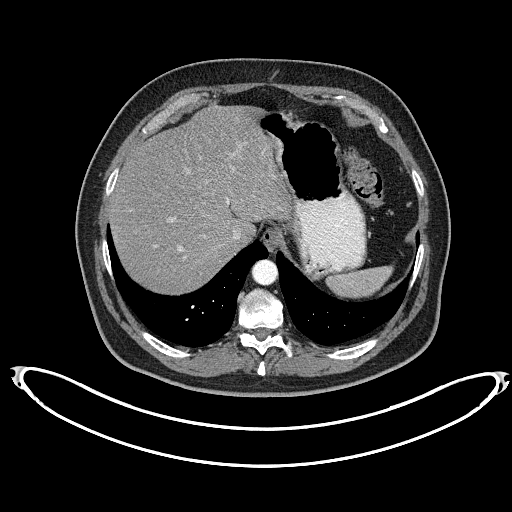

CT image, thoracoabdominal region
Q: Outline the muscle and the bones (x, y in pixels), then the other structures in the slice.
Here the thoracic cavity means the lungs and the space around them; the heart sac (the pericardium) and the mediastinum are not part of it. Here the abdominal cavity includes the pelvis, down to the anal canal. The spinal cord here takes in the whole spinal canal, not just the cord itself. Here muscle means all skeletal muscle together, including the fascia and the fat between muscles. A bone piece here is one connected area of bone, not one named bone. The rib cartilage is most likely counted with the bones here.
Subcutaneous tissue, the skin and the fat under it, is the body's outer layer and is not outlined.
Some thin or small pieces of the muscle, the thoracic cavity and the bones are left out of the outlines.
A: muscle: [[203,377],[217,376],[231,372],[236,372],[239,370],[241,370],[244,373],[257,375],[256,368],[259,361],[261,359],[263,359],[265,361],[266,375],[264,376],[275,376],[280,374],[299,375],[300,376],[320,376],[321,375],[327,375],[328,374],[341,373],[349,371],[373,357],[390,343],[411,322],[421,309],[425,301],[428,289],[427,286],[428,285],[428,277],[429,276],[429,259],[430,258],[430,245],[429,244],[429,238],[427,230],[428,229],[428,223],[430,219],[429,216],[429,200],[427,192],[427,180],[408,147],[390,119],[380,108],[360,95],[350,90],[338,87],[297,85],[296,84],[277,83],[272,81],[244,82],[243,83],[230,83],[229,84],[202,85],[201,86],[187,87],[172,94],[159,106],[145,115],[136,124],[119,146],[110,164],[105,171],[103,177],[103,185],[100,195],[100,204],[96,219],[96,223],[98,225],[98,236],[94,240],[94,261],[95,262],[96,280],[103,302],[107,310],[111,314],[116,322],[142,348],[150,353],[164,365],[173,370],[182,373],[195,375],[196,376],[202,376]], around a hole outlined by [[334,359],[355,358],[372,348],[378,338],[369,337],[396,312],[415,281],[424,254],[417,228],[417,199],[424,194],[420,176],[413,168],[410,174],[407,172],[395,150],[379,134],[388,131],[383,119],[345,95],[334,95],[329,103],[316,103],[265,86],[206,102],[199,100],[207,93],[180,96],[142,127],[145,136],[122,167],[111,172],[105,187],[105,194],[111,197],[106,237],[101,239],[102,255],[123,299],[148,329],[140,331],[141,335],[159,351],[182,358],[191,354],[177,345],[205,346],[221,338],[235,321],[234,329],[243,329],[237,333],[243,346],[251,346],[261,355],[276,346],[291,357],[292,344],[282,334],[283,326],[290,321],[317,344],[345,346],[326,353]]
bones 1: [[288,357],[291,357],[293,352],[291,342],[285,341],[282,334],[283,326],[285,325],[283,303],[273,294],[262,289],[254,289],[243,295],[240,293],[234,329],[239,327],[243,329],[237,333],[241,344],[255,348],[261,355],[269,347],[276,346],[281,348]], around a hole outlined by [[259,340],[262,340],[263,339],[264,339],[269,334],[270,334],[271,333],[271,331],[270,330],[270,329],[268,329],[267,328],[257,328],[256,329],[254,329],[253,330],[252,330],[252,333],[256,337],[256,338],[257,339],[258,339]]
bones 2: [[145,136],[157,129],[178,109],[181,107],[184,107],[187,105],[199,102],[200,98],[203,96],[206,96],[207,93],[190,93],[189,94],[186,94],[180,96],[174,100],[163,110],[157,113],[150,120],[149,120],[143,127],[142,127],[141,132]]
bones 3: [[382,133],[386,133],[388,131],[388,128],[385,124],[383,119],[371,108],[365,104],[361,103],[356,99],[348,97],[345,95],[334,95],[331,97],[333,100],[332,102],[338,103],[341,105],[346,105],[353,109],[355,109],[360,113],[369,118],[376,128]]
bones 4: [[334,359],[349,359],[350,358],[355,358],[363,354],[372,348],[378,341],[378,338],[376,337],[372,337],[354,346],[344,348],[343,349],[337,349],[336,350],[334,350],[332,352],[328,352],[326,353],[326,355],[328,357],[333,358]]
bones 5: [[179,358],[182,358],[183,357],[187,357],[188,356],[190,356],[191,354],[187,350],[181,350],[175,347],[173,347],[165,343],[163,341],[160,340],[147,331],[145,331],[144,330],[140,331],[141,335],[156,349],[167,355],[169,355],[173,357],[178,357]]
bones 6: [[408,290],[412,287],[415,281],[424,254],[424,245],[423,243],[420,241],[417,248],[417,251],[416,252],[416,255],[413,264],[413,268],[412,269],[412,273],[411,274],[411,277],[408,286]]
bones 7: [[113,281],[114,281],[114,278],[113,277],[113,274],[111,269],[111,262],[109,257],[109,252],[107,247],[106,238],[102,238],[101,239],[101,249],[102,250],[103,259],[104,260],[106,268],[108,271],[108,273],[111,279]]
bones 8: [[418,198],[420,198],[423,196],[424,194],[424,188],[423,187],[423,184],[420,178],[420,176],[415,170],[415,169],[412,168],[411,169],[411,173],[410,174],[411,175],[412,180],[414,183],[414,186],[415,187],[415,189],[416,190],[416,192],[417,193]]
bones 9: [[107,196],[110,195],[110,194],[113,190],[113,188],[114,187],[114,185],[115,184],[115,182],[116,181],[116,179],[117,178],[117,174],[119,171],[119,167],[116,167],[111,172],[111,173],[107,180],[107,182],[106,183],[106,186],[105,187],[105,194]]
thoracic cavity 1: [[185,347],[205,346],[221,338],[230,329],[236,320],[237,296],[246,274],[255,261],[266,257],[267,250],[259,240],[255,240],[201,288],[180,296],[164,296],[145,290],[125,273],[117,258],[107,224],[106,237],[112,269],[123,299],[151,333],[173,346]]
thoracic cavity 2: [[346,347],[354,345],[368,338],[378,327],[396,312],[406,293],[412,267],[404,279],[386,295],[369,301],[345,302],[320,291],[279,251],[277,253],[276,263],[279,270],[280,286],[284,298],[284,313],[286,322],[290,321],[301,334],[317,344],[341,345]]
spinal cord: [[259,340],[262,340],[263,339],[264,339],[269,334],[270,334],[271,333],[271,331],[270,330],[270,329],[268,329],[267,328],[257,328],[256,329],[254,329],[253,330],[252,330],[252,333],[256,337],[256,338],[257,339],[258,339]]
mediastinum: [[283,302],[279,286],[278,270],[275,263],[275,257],[278,251],[277,246],[275,246],[269,240],[266,240],[264,238],[262,240],[262,243],[268,250],[268,255],[266,258],[258,260],[253,264],[247,274],[240,292],[243,294],[254,288],[262,288],[270,291]]
torso: [[240,397],[310,395],[365,382],[411,361],[429,345],[437,329],[451,237],[445,186],[408,107],[385,83],[361,70],[283,58],[219,58],[175,67],[148,81],[125,102],[86,170],[76,210],[76,249],[90,308],[106,347],[129,368],[167,383],[194,391]]
abdominal cavity: [[345,301],[369,300],[391,291],[412,266],[417,247],[418,206],[410,175],[395,150],[363,115],[331,102],[311,102],[279,88],[258,87],[187,106],[132,149],[110,196],[107,223],[120,263],[136,283],[164,295],[191,292],[242,248],[264,237],[320,290]]